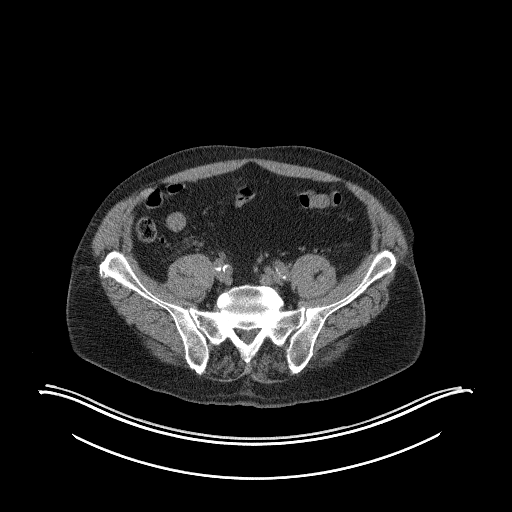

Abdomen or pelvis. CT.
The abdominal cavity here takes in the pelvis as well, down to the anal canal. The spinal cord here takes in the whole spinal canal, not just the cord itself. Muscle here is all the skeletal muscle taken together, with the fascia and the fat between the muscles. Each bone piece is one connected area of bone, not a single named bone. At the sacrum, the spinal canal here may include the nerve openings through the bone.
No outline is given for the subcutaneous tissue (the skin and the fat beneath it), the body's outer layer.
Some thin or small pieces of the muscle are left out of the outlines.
{"torso":[[[209,144],[249,147],[305,145],[319,148],[359,165],[390,190],[413,227],[414,260],[426,312],[423,349],[411,366],[340,397],[257,408],[240,404],[204,405],[152,391],[104,370],[72,351],[65,322],[70,265],[95,210],[112,189],[145,165],[182,149]]],"muscle":[[[244,158],[259,158],[310,167],[359,185],[369,191],[396,217],[407,243],[405,263],[397,268],[388,286],[389,299],[385,308],[369,323],[353,331],[353,341],[341,357],[325,366],[293,375],[283,382],[261,383],[246,375],[227,382],[206,378],[201,375],[205,372],[210,358],[208,343],[218,346],[228,340],[248,364],[266,340],[280,347],[287,342],[287,367],[292,375],[296,375],[313,356],[315,342],[327,318],[353,301],[375,281],[393,271],[397,263],[396,256],[390,249],[383,248],[373,256],[360,281],[346,295],[328,304],[299,306],[300,296],[291,281],[291,270],[299,257],[306,254],[323,256],[335,269],[336,281],[339,282],[355,270],[371,250],[372,228],[367,206],[343,183],[282,175],[250,161],[234,170],[194,181],[176,180],[156,184],[131,211],[131,251],[140,268],[160,283],[167,280],[168,268],[178,258],[189,254],[205,255],[211,262],[213,282],[196,307],[185,307],[155,295],[140,280],[120,250],[108,251],[98,264],[98,270],[92,254],[92,239],[106,213],[118,201],[151,182],[185,169]],[[98,273],[98,276],[99,277],[101,279],[113,279],[122,286],[164,309],[171,316],[182,341],[184,359],[188,367],[197,374],[187,368],[162,362],[150,353],[143,345],[142,339],[138,335],[138,332],[134,326],[128,325],[124,318],[118,314],[109,301],[99,281],[98,277]]],"spinal_cord":[[[252,330],[255,330],[255,334],[254,335],[254,336],[253,337],[253,339],[249,343],[246,343],[244,341],[243,341],[241,339],[241,338],[240,337],[240,335],[239,334],[239,332],[240,331],[251,331]]],"abdominal_cavity":[[[250,162],[282,176],[343,184],[366,206],[370,250],[339,281],[323,255],[299,256],[290,270],[296,308],[283,309],[270,285],[243,283],[222,291],[215,309],[199,309],[214,282],[210,259],[182,255],[157,281],[132,251],[132,211],[158,184],[194,182]]],"bones":[{"outer":[[383,249],[395,256],[392,271],[326,318],[296,374],[288,367],[287,341],[266,339],[246,363],[227,339],[207,343],[199,375],[185,359],[172,316],[98,272],[117,250],[164,301],[212,311],[234,286],[266,285],[277,291],[283,310],[292,310],[346,296]],"hole":[[252,330],[255,330],[255,334],[254,335],[254,336],[253,337],[253,339],[249,343],[246,343],[244,341],[243,341],[241,339],[241,338],[240,337],[240,335],[239,334],[239,332],[240,331],[251,331]]}]}